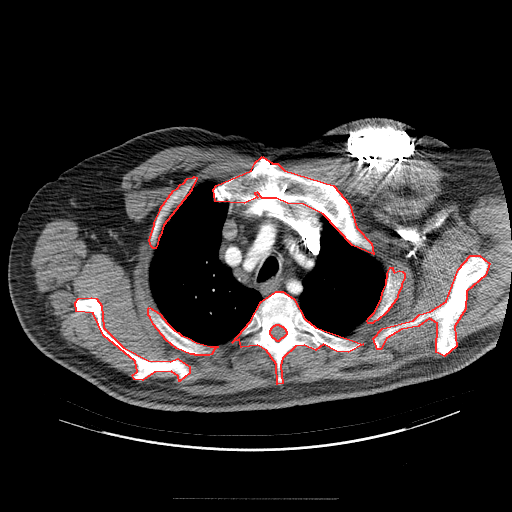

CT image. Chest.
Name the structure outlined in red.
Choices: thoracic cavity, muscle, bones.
red: bones.
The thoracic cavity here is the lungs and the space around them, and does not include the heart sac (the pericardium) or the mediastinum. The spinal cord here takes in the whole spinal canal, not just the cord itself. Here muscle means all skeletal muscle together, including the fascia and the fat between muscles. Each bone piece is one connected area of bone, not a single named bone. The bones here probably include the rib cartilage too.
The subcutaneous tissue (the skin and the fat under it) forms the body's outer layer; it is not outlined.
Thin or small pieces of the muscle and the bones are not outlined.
{"bones":[[[262,156],[272,163],[277,163],[284,170],[333,185],[349,204],[356,227],[371,243],[373,254],[352,245],[323,214],[303,204],[287,203],[276,198],[262,198],[257,192],[254,193],[257,197],[244,203],[215,201],[213,189],[216,185],[251,170],[255,162]],{"outer":[[276,291],[282,291],[293,298],[304,318],[315,327],[363,344],[348,352],[336,351],[323,344],[315,350],[304,345],[295,346],[282,358],[280,365],[282,383],[277,384],[276,364],[266,350],[257,345],[241,347],[239,339],[232,342],[250,321],[261,301]],"hole":[[276,324],[278,324],[279,325],[280,325],[281,326],[282,326],[285,329],[285,330],[286,331],[286,334],[282,338],[281,338],[278,341],[277,341],[274,338],[273,338],[272,337],[272,336],[270,334],[270,330],[271,329],[271,328],[274,325],[275,325]]},[[470,255],[479,255],[489,263],[485,275],[466,291],[465,309],[454,326],[456,346],[444,356],[436,352],[437,323],[429,318],[418,326],[401,329],[386,338],[380,349],[377,349],[373,338],[382,328],[413,320],[419,314],[430,311],[446,301],[458,269]],[[91,297],[96,298],[101,305],[103,327],[123,347],[148,360],[170,361],[177,358],[189,366],[189,373],[179,381],[178,376],[171,371],[154,372],[142,380],[134,379],[132,375],[137,371],[135,361],[103,335],[93,313],[76,311],[75,302],[78,298]],[[149,307],[159,313],[167,323],[174,330],[178,332],[181,335],[187,337],[196,342],[210,346],[217,346],[217,347],[214,349],[211,354],[209,355],[195,355],[194,354],[190,354],[176,348],[166,340],[153,324],[150,317],[148,315],[148,308]],[[194,176],[196,177],[196,179],[191,188],[191,190],[163,225],[160,235],[158,238],[157,244],[155,248],[153,248],[151,246],[149,240],[154,225],[154,222],[160,210],[160,208],[173,190],[177,188],[180,184],[183,183],[187,178],[193,177]],[[390,267],[392,267],[392,269],[394,272],[399,270],[402,271],[404,273],[404,277],[401,284],[401,287],[398,292],[396,299],[386,312],[377,320],[374,321],[372,323],[368,323],[367,321],[368,318],[374,312],[380,301],[383,290],[386,284],[387,273]]],"thoracic_cavity":[[[207,181],[216,184],[212,189],[212,199],[215,202],[228,203],[221,229],[219,260],[230,269],[238,282],[247,288],[256,290],[262,298],[246,325],[231,340],[217,345],[196,341],[174,329],[160,311],[152,295],[149,281],[150,262],[164,225],[193,188]],[[323,216],[352,246],[373,256],[381,264],[386,275],[384,287],[373,312],[367,319],[355,327],[346,336],[339,336],[327,332],[309,322],[305,318],[298,303],[300,295],[303,291],[303,280],[314,267],[320,250],[320,237],[324,228],[324,222],[322,220]]],"muscle":[{"outer":[[181,145],[272,153],[276,161],[427,156],[444,173],[427,214],[393,219],[376,211],[415,273],[438,233],[465,218],[479,196],[499,195],[511,229],[504,321],[468,335],[447,355],[458,344],[455,326],[467,291],[489,268],[481,255],[470,254],[443,303],[373,336],[379,351],[401,330],[436,323],[434,348],[442,357],[396,377],[189,396],[137,381],[171,372],[179,382],[190,366],[177,357],[144,358],[123,346],[104,327],[102,305],[93,296],[78,297],[75,311],[93,314],[98,330],[134,361],[136,371],[130,377],[69,347],[51,328],[35,291],[30,261],[41,231],[54,218],[72,220],[90,253],[107,254],[130,271],[149,222],[127,215],[118,188],[122,177],[155,153]],"hole":[[262,156],[333,185],[385,274],[390,267],[404,273],[386,312],[345,337],[361,346],[295,346],[282,358],[280,385],[262,347],[238,339],[190,354],[148,315],[150,307],[164,317],[150,287],[149,240],[165,200],[187,178],[196,177],[193,188],[217,185]]}],"spinal_cord":[[[276,324],[278,324],[279,325],[280,325],[281,326],[282,326],[285,329],[285,330],[286,331],[286,334],[282,338],[281,338],[278,341],[277,341],[274,338],[273,338],[272,337],[272,336],[270,334],[270,330],[271,329],[271,328],[274,325],[275,325]]],"torso":[[[371,116],[407,123],[450,146],[486,148],[494,162],[511,229],[508,304],[495,345],[469,365],[362,397],[268,410],[166,411],[108,395],[43,354],[23,331],[8,289],[10,245],[33,195],[66,169],[170,126],[198,126],[278,145],[315,139],[336,125]]],"mediastinum":[[[255,193],[262,199],[276,199],[287,204],[303,205],[323,215],[319,250],[313,267],[302,280],[302,291],[297,301],[282,290],[276,290],[263,298],[256,289],[247,287],[238,281],[231,269],[220,260],[222,229],[229,204],[233,202],[244,204],[257,198]]]}